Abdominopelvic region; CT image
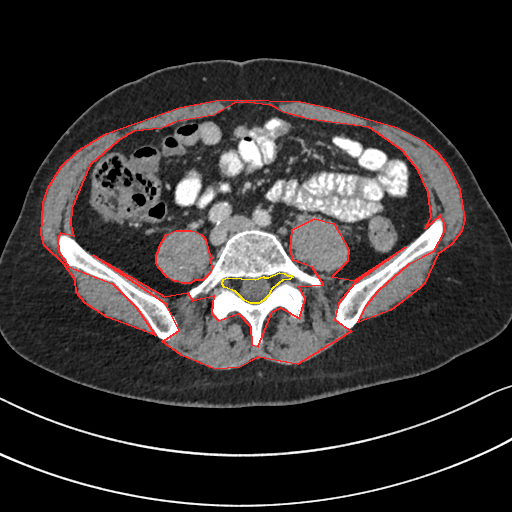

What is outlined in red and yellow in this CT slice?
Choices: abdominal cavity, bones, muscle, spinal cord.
red: muscle; yellow: spinal cord.
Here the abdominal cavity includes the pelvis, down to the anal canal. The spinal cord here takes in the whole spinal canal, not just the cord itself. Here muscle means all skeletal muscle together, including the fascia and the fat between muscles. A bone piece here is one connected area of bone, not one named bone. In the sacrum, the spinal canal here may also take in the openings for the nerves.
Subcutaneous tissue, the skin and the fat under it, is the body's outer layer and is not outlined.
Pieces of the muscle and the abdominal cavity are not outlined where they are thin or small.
Outlined structures:
muscle 1: (237, 99) (300, 101) (328, 107) (397, 127) (423, 140) (438, 153) (448, 166) (459, 189) (464, 219) (461, 231) (451, 244) (437, 254) (424, 283) (419, 288) (390, 310) (358, 322) (366, 305) (378, 290) (409, 263) (434, 250) (444, 232) (444, 222) (440, 215) (425, 228) (431, 217) (428, 192) (418, 170) (402, 150) (369, 127) (309, 119) (283, 112) (270, 105) (246, 102) (234, 103) (213, 115) (177, 121) (161, 128) (133, 131) (118, 140) (89, 165) (71, 208) (70, 224) (73, 236) (60, 233) (57, 238) (58, 251) (68, 266) (112, 283) (136, 307) (155, 335) (107, 317) (85, 303) (76, 292) (75, 280) (64, 264) (44, 245) (41, 234) (43, 202) (48, 187) (61, 166) (78, 150) (106, 133) (179, 107) (215, 100)
muscle 2: (314, 218) (333, 223) (348, 249) (347, 261) (332, 276) (354, 280) (405, 247) (354, 283) (338, 303) (334, 319) (351, 331) (297, 364) (258, 357) (239, 367) (215, 369) (181, 355) (162, 341) (179, 330) (166, 304) (93, 255) (164, 296) (187, 292) (192, 300) (213, 295) (211, 313) (218, 320) (238, 313) (250, 326) (251, 344) (258, 346) (272, 311) (280, 307) (299, 318) (305, 299) (299, 286) (323, 284) (312, 267) (293, 260) (290, 249) (292, 229)
muscle 3: (176, 230) (191, 230) (195, 231) (201, 234) (205, 239) (208, 251) (211, 258) (210, 259) (210, 263) (212, 267) (209, 273) (202, 280) (194, 280) (190, 283) (181, 283) (177, 281) (174, 281) (167, 277) (158, 267) (156, 263) (156, 254) (158, 251) (159, 246) (166, 234)
spinal cord: (279, 272) (284, 273) (287, 275) (291, 275) (292, 277) (289, 279) (282, 280) (278, 283) (271, 289) (267, 296) (263, 300) (258, 303) (250, 303) (244, 300) (235, 291) (224, 287) (222, 284) (223, 279) (227, 277) (255, 279) (263, 276) (264, 277) (268, 277)
abdominal cavity: (246, 103) (373, 130) (417, 170) (429, 222) (354, 279) (332, 275) (349, 249) (325, 218) (291, 229) (291, 258) (274, 233) (251, 228) (232, 234) (213, 265) (201, 233) (172, 230) (157, 267) (174, 282) (201, 281) (174, 297) (90, 253) (71, 219) (97, 158) (138, 130)
bones 1: (251, 229) (274, 234) (291, 260) (322, 283) (320, 287) (298, 286) (304, 297) (299, 317) (292, 317) (280, 306) (272, 310) (263, 322) (258, 345) (252, 344) (251, 326) (238, 312) (223, 319) (212, 313) (213, 294) (192, 299) (188, 296) (188, 291) (210, 273) (228, 239), around a hole outlined by (279, 272) (284, 273) (287, 275) (291, 275) (292, 277) (289, 279) (282, 280) (278, 283) (271, 289) (267, 296) (263, 300) (258, 303) (250, 303) (244, 300) (235, 291) (224, 287) (222, 284) (223, 279) (227, 277) (255, 279) (263, 276) (264, 277) (268, 277)
bones 2: (62, 233) (73, 237) (85, 250) (121, 276) (130, 284) (139, 290) (158, 298) (163, 302) (174, 316) (177, 322) (178, 330) (176, 334) (167, 341) (160, 339) (137, 307) (112, 282) (90, 275) (75, 266) (68, 265) (65, 259) (61, 255) (58, 248) (58, 238) (59, 235)
bones 3: (438, 216) (440, 216) (443, 222) (443, 232) (436, 247) (432, 250) (423, 253) (409, 262) (396, 272) (379, 288) (369, 299) (365, 305) (359, 319) (353, 327) (349, 329) (345, 329) (340, 326) (335, 319) (334, 314) (336, 308) (347, 291) (354, 284) (369, 277) (389, 264)
torso: (260, 57) (315, 62) (369, 78) (406, 99) (445, 134) (467, 162) (511, 240) (511, 321) (507, 327) (492, 340) (429, 372) (289, 405) (209, 408) (150, 402) (73, 382) (17, 354) (0, 334) (0, 254) (35, 172) (59, 137) (99, 98) (152, 71) (191, 61) (242, 61)